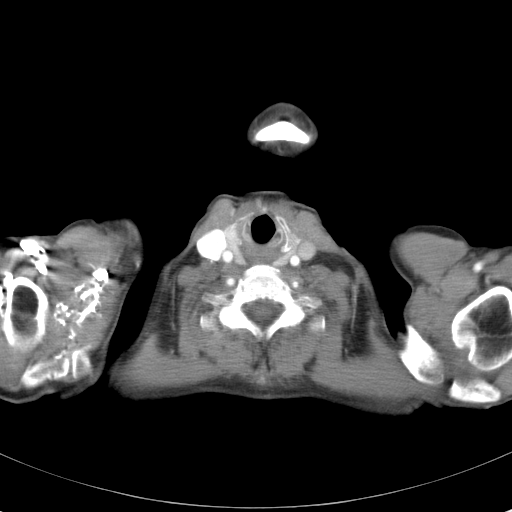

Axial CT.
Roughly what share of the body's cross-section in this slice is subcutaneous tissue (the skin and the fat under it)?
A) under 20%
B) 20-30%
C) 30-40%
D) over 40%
A) under 20%
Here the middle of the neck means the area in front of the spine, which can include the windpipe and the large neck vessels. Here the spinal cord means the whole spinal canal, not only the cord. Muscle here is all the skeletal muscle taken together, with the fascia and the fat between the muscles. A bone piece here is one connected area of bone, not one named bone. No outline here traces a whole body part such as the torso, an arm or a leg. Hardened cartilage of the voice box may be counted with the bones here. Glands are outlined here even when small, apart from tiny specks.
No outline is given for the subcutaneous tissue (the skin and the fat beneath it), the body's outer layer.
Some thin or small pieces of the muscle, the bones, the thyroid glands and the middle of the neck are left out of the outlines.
{"thyroid_glands":[[[232,223],[234,223],[234,225],[236,227],[238,227],[238,238],[236,240],[236,242],[239,244],[239,249],[241,251],[243,258],[245,260],[245,262],[244,263],[237,263],[227,244],[227,238],[226,237],[226,233],[224,229],[228,225]],[[291,234],[293,234],[296,237],[298,237],[301,240],[301,241],[300,241],[297,245],[295,249],[295,251],[289,258],[286,264],[281,267],[276,267],[274,265],[274,262],[275,260],[276,260],[277,258],[278,258],[282,254],[285,252],[289,251],[292,248]]],"muscle":[{"outer":[[224,197],[286,200],[311,212],[363,269],[389,331],[405,331],[398,357],[428,385],[443,381],[442,361],[404,324],[413,279],[395,239],[423,231],[461,240],[478,255],[511,253],[511,288],[489,287],[450,322],[451,340],[472,366],[488,372],[511,360],[511,395],[500,399],[481,378],[453,379],[447,390],[481,404],[389,405],[301,380],[268,388],[223,376],[153,390],[118,384],[108,370],[136,339],[164,269],[190,249]],"holes":[[[256,210],[279,215],[291,234],[314,246],[306,264],[282,267],[279,275],[297,283],[294,296],[321,302],[268,340],[243,328],[211,331],[199,324],[200,315],[219,309],[202,294],[228,291],[227,278],[237,280],[250,266],[204,257],[197,241]],[[321,315],[324,315],[325,316],[325,328],[324,329],[319,329],[318,330],[311,330],[310,329],[309,329],[308,328],[308,326],[307,325],[307,324],[308,323],[308,322],[311,320],[313,320],[315,317],[318,317]]]},{"outer":[[95,224],[129,230],[143,253],[141,265],[120,300],[103,372],[92,382],[61,384],[50,391],[12,392],[0,388],[0,333],[14,352],[36,357],[47,334],[51,314],[48,295],[29,275],[7,275],[0,282],[0,250],[22,241],[55,240],[74,226]],"hole":[[92,344],[92,348],[86,351],[90,358],[91,367],[89,371],[78,378],[75,379],[69,372],[57,380],[46,380],[35,387],[25,387],[20,381],[26,367],[28,365],[32,365],[37,360],[39,359],[45,361],[50,359],[54,354],[65,349],[76,349]]}],"middle_of_the_neck":[[[256,210],[264,210],[276,215],[275,220],[284,234],[284,243],[279,249],[281,254],[272,264],[254,263],[251,265],[238,265],[246,262],[240,249],[240,244],[237,242],[239,238],[239,230],[242,231],[245,228],[245,222],[253,216],[252,212]],[[215,228],[222,229],[224,231],[225,233],[225,237],[226,238],[226,244],[227,247],[233,256],[236,263],[233,262],[227,262],[224,261],[223,259],[211,260],[206,257],[202,256],[199,253],[196,247],[196,244],[198,239],[207,232]],[[300,242],[309,242],[311,243],[316,249],[316,251],[315,252],[315,254],[314,256],[306,264],[305,264],[303,266],[301,266],[300,267],[286,267],[285,268],[284,267],[282,267],[285,266],[287,264],[290,258],[296,251],[296,249],[298,245],[300,243]]],"spinal_cord":[[[259,299],[262,299],[263,300],[264,299],[267,299],[268,300],[270,300],[271,301],[279,303],[281,304],[283,308],[281,312],[272,321],[272,322],[267,325],[263,329],[258,324],[257,324],[254,321],[250,319],[243,310],[243,306],[246,303],[253,302]]],"bones":[{"outer":[[254,264],[273,264],[283,280],[297,283],[294,296],[306,294],[319,299],[320,304],[314,309],[305,307],[301,323],[279,329],[268,340],[258,339],[243,328],[219,325],[217,331],[203,329],[200,315],[219,308],[202,294],[228,291],[227,278],[237,280]],"hole":[[259,299],[262,299],[263,300],[264,299],[267,299],[268,300],[270,300],[271,301],[279,303],[281,304],[283,308],[281,312],[272,321],[272,322],[267,325],[263,329],[258,324],[257,324],[254,321],[250,319],[243,310],[243,306],[246,303],[253,302]]},[[495,285],[504,285],[511,289],[511,359],[498,368],[496,368],[492,370],[489,370],[488,371],[484,371],[472,365],[468,361],[467,359],[467,353],[468,351],[466,348],[459,349],[455,346],[451,337],[451,322],[455,314],[458,310],[470,302],[477,296]],[[13,275],[27,275],[29,276],[31,279],[34,280],[36,283],[42,287],[47,295],[50,304],[49,325],[47,327],[46,334],[43,342],[39,346],[39,353],[33,357],[28,357],[14,351],[8,345],[2,335],[2,333],[0,332],[0,283],[2,278]],[[92,344],[92,348],[86,351],[90,358],[91,367],[89,371],[78,378],[75,379],[69,372],[57,380],[46,380],[35,387],[25,387],[20,381],[26,367],[28,365],[32,365],[37,360],[39,359],[45,361],[50,359],[54,354],[65,349],[76,349]],[[405,324],[410,324],[436,350],[438,354],[438,357],[441,361],[441,364],[439,366],[439,369],[438,370],[439,373],[442,376],[442,381],[440,383],[438,384],[428,384],[417,380],[409,372],[400,359],[398,354],[398,351],[404,345],[404,338],[406,335]],[[480,379],[488,382],[495,388],[498,389],[500,391],[500,398],[498,400],[494,401],[493,402],[469,402],[468,401],[457,400],[450,397],[448,395],[448,390],[453,380],[456,380],[461,384],[465,385],[470,381],[473,381],[474,380],[479,380]],[[277,215],[279,215],[285,220],[285,222],[287,226],[290,229],[290,240],[291,241],[291,248],[289,250],[287,251],[285,251],[283,253],[281,252],[281,250],[280,249],[281,247],[285,243],[285,234],[284,233],[284,231],[283,229],[276,220],[276,216]],[[247,213],[251,213],[252,214],[252,216],[251,217],[250,217],[248,220],[247,220],[244,222],[244,228],[242,230],[240,230],[239,229],[239,227],[238,226],[236,226],[235,225],[235,223],[237,221],[237,220],[238,219],[241,218],[245,214],[246,214]]]}